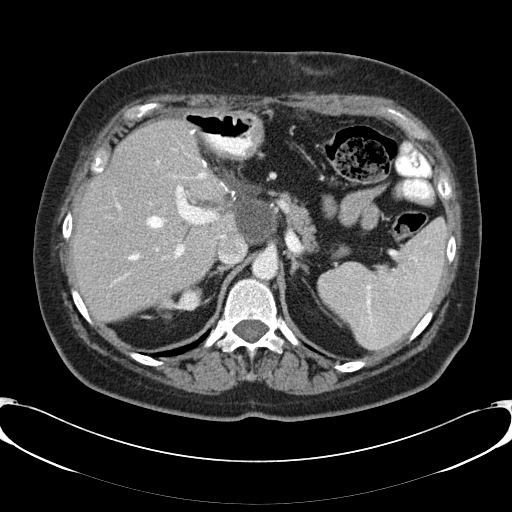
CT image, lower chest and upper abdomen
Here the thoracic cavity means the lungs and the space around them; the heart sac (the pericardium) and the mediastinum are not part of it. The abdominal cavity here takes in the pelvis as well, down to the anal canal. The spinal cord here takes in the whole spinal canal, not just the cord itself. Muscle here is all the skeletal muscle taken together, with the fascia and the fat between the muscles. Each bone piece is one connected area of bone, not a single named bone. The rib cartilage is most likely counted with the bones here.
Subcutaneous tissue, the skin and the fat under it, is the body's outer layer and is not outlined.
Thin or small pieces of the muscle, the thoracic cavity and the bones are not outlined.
{"mediastinum":[[[273,238],[277,240],[277,243],[279,247],[279,254],[281,263],[281,295],[282,296],[283,315],[282,316],[279,314],[275,296],[268,285],[266,283],[252,277],[243,277],[238,279],[228,290],[225,301],[226,284],[229,280],[248,259],[256,253],[269,240]]],"bones":[{"outer":[[243,278],[252,278],[267,285],[274,296],[278,314],[300,340],[300,344],[293,345],[285,339],[280,354],[266,347],[260,347],[255,351],[252,360],[248,351],[242,346],[231,352],[224,352],[215,343],[208,347],[203,346],[203,342],[222,316],[229,290]],"hole":[[244,320],[257,320],[258,321],[260,321],[262,322],[267,327],[267,330],[258,339],[257,339],[255,341],[253,342],[250,342],[249,341],[247,341],[245,339],[244,339],[242,337],[238,335],[234,331],[234,328],[235,326],[238,323]]},[[380,106],[384,106],[385,107],[390,107],[391,108],[393,108],[401,112],[407,117],[414,121],[427,133],[427,139],[425,140],[419,140],[408,133],[405,129],[404,129],[399,124],[396,123],[396,122],[389,114],[380,110],[379,109],[379,107]],[[150,102],[157,102],[159,103],[161,105],[161,106],[157,108],[155,108],[153,110],[148,112],[141,118],[139,119],[136,119],[135,120],[126,120],[123,118],[123,114],[129,108],[133,106],[138,105],[139,104],[143,104],[144,103],[149,103]],[[100,146],[103,146],[108,151],[108,152],[109,153],[109,156],[108,157],[108,158],[107,159],[107,160],[103,167],[103,169],[101,171],[100,171],[97,173],[93,173],[90,170],[90,165],[94,158],[94,155],[95,154],[96,151]],[[364,358],[365,358],[366,360],[366,363],[365,365],[357,370],[355,370],[351,372],[341,372],[337,370],[335,368],[334,368],[334,365],[337,363],[343,363],[344,362],[348,362],[349,361],[352,361],[353,360],[357,360],[358,359],[363,359]],[[72,288],[74,288],[77,290],[81,299],[83,301],[83,303],[85,305],[85,307],[87,309],[87,311],[90,317],[93,321],[93,324],[92,325],[88,323],[88,322],[82,316],[82,315],[77,309],[73,301],[73,299],[71,295],[71,289]],[[440,170],[442,170],[444,172],[445,172],[445,173],[447,175],[447,176],[448,177],[448,181],[449,182],[449,184],[451,187],[451,197],[449,199],[444,199],[442,197],[442,196],[440,194],[440,192],[438,189],[438,178],[439,177],[439,174],[440,173]],[[131,351],[135,351],[136,352],[141,353],[144,355],[148,355],[155,359],[157,359],[158,360],[160,360],[162,361],[163,363],[161,365],[158,365],[157,366],[150,366],[149,365],[146,365],[145,364],[140,363],[136,360],[133,359],[129,355],[129,352]],[[430,309],[431,309],[433,311],[433,315],[432,316],[432,318],[430,322],[427,325],[427,326],[415,338],[414,338],[411,341],[408,342],[408,338],[409,336],[411,334],[413,330],[416,327],[418,323],[422,319],[422,318],[425,315],[425,314]],[[69,211],[70,212],[71,212],[71,213],[72,214],[72,227],[71,228],[71,234],[70,235],[70,237],[68,239],[65,239],[63,237],[63,234],[62,233],[62,223],[63,222],[63,220],[64,219],[64,218],[65,217],[65,216],[66,215],[66,214]],[[451,235],[453,235],[455,238],[455,247],[456,248],[456,250],[455,251],[455,255],[454,256],[454,258],[453,259],[453,260],[451,262],[449,262],[447,260],[447,254],[446,253],[446,250],[447,249],[447,244],[448,243],[448,240],[449,239],[449,237]]],"muscle":[{"outer":[[307,91],[314,91],[317,93],[332,93],[334,92],[342,94],[351,93],[352,94],[363,94],[364,95],[376,95],[389,98],[395,101],[398,104],[405,107],[417,116],[431,130],[438,139],[452,163],[461,202],[462,242],[461,243],[457,278],[448,307],[448,310],[445,315],[444,320],[432,342],[425,349],[418,352],[400,364],[396,365],[381,373],[342,388],[338,388],[334,390],[311,395],[288,394],[283,391],[272,389],[268,387],[264,383],[258,383],[257,382],[253,383],[244,382],[230,389],[225,390],[217,395],[206,395],[205,394],[188,392],[164,384],[145,376],[142,376],[138,373],[124,367],[107,356],[100,354],[84,343],[72,329],[65,306],[63,304],[63,300],[61,295],[61,286],[60,285],[60,278],[59,277],[58,263],[56,255],[56,248],[55,247],[54,222],[69,179],[71,176],[72,170],[76,162],[93,136],[126,103],[135,99],[152,94],[177,92],[178,93],[212,93],[213,94],[241,94],[242,95],[254,94],[255,95],[264,95],[266,96],[267,95],[276,95],[291,92],[306,92]],"holes":[[[269,103],[392,122],[379,109],[390,107],[427,133],[425,140],[413,138],[437,177],[440,170],[448,177],[451,197],[443,205],[456,248],[430,322],[351,372],[337,370],[339,361],[303,341],[286,339],[280,354],[260,347],[252,360],[242,346],[224,352],[202,342],[158,357],[161,365],[138,362],[105,326],[88,323],[71,295],[76,284],[62,223],[94,175],[96,151],[103,146],[110,153],[130,130],[170,110]],[[150,102],[157,102],[159,103],[161,105],[161,106],[157,108],[155,108],[153,110],[148,112],[141,118],[139,119],[136,119],[135,120],[126,120],[123,118],[123,114],[129,108],[133,106],[138,105],[139,104],[143,104],[144,103],[149,103]]]}],"abdominal_cavity":[[[269,103],[386,119],[424,150],[437,174],[449,234],[447,261],[431,307],[394,347],[334,360],[302,341],[283,317],[282,263],[273,237],[225,284],[222,313],[211,329],[171,349],[132,349],[91,317],[76,288],[70,238],[86,184],[130,130],[167,111]]],"spinal_cord":[[[244,320],[257,320],[258,321],[260,321],[262,322],[267,327],[267,330],[258,339],[257,339],[255,341],[253,342],[250,342],[249,341],[247,341],[245,339],[244,339],[242,337],[238,335],[234,331],[234,328],[235,326],[238,323]]],"thoracic_cavity":[[[210,329],[208,335],[201,343],[197,346],[182,353],[173,356],[166,356],[165,357],[158,357],[157,358],[155,358],[148,354],[142,353],[151,354],[156,352],[171,350],[174,348],[177,348],[181,346],[190,344],[199,338],[200,336],[207,330]]],"torso":[[[225,49],[325,50],[381,60],[436,86],[466,118],[476,151],[482,217],[475,311],[464,345],[426,388],[383,405],[329,417],[214,421],[156,411],[100,393],[74,376],[58,355],[40,312],[32,254],[42,189],[70,119],[98,82],[128,64],[168,53]]]}